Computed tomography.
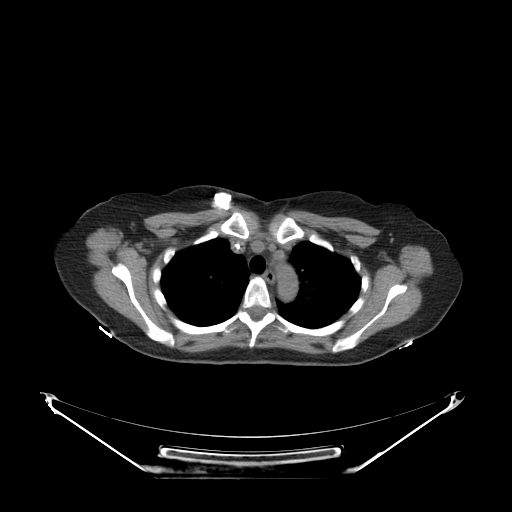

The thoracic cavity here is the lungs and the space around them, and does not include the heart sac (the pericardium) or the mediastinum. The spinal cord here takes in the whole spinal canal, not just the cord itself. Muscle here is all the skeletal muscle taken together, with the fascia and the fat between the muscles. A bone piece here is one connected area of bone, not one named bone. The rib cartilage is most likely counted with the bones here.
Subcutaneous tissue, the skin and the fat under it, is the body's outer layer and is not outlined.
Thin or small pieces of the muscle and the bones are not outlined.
The thoracic cavity appears in 2 outlined pieces: piece 1: 218,237 228,241 229,248 234,254 243,256 249,273 248,281 239,306 237,310 230,317 223,321 209,325 195,325 186,322 177,317 176,314 168,305 167,300 160,285 162,270 169,263 176,252 192,245 197,245; piece 2: 306,240 323,247 330,252 335,252 348,258 354,270 360,277 360,289 357,298 338,319 320,327 306,327 289,321 277,311 275,304 277,300 283,304 289,304 298,297 300,280 297,270 290,260 290,256 293,248. The mediastinum is outlined by 225,235 243,240 252,236 265,236 282,245 294,240 305,240 296,244 289,256 299,280 297,297 289,303 283,303 277,299 275,307 265,280 260,276 249,279 250,273 246,259 243,255 231,250 227,239 219,237. The muscle is outlined by 234,204 262,218 298,209 351,217 380,229 377,240 360,256 372,272 407,244 426,247 433,273 420,308 410,318 358,344 390,302 407,290 405,283 394,283 381,309 360,328 336,339 332,352 254,347 258,334 275,321 276,328 285,334 322,337 335,333 346,322 340,318 344,313 352,316 363,306 365,299 359,294 367,291 370,279 367,274 359,275 357,255 337,253 330,241 315,232 304,239 305,231 292,217 280,220 272,231 273,240 265,235 250,236 245,216 236,210 191,245 177,251 170,246 164,251 165,266 161,269 156,265 151,272 153,282 160,286 152,295 163,310 167,305 171,309 176,316 170,315 170,322 188,335 228,334 238,320 250,331 248,347 201,352 173,348 173,333 148,316 135,295 130,270 122,262 110,271 124,284 146,326 144,333 96,293 87,273 87,236 112,226 126,239 140,242 154,236 143,223 148,216. The spinal cord is outlined by 255,305 257,305 258,306 260,306 261,307 262,307 265,309 265,313 264,314 264,315 260,319 258,319 257,320 254,320 250,316 250,315 248,312 248,309 249,309 251,307 252,307. The bones appear in 10 outlined pieces: piece 1: 254,277 264,280 273,306 289,322 320,328 344,319 343,326 331,334 318,336 285,333 277,328 279,323 275,320 257,334 253,347 248,345 250,329 238,319 228,333 181,331 170,316 195,326 209,326 230,318 with a hole at 255,305 257,305 258,306 260,306 261,307 262,307 265,309 265,313 264,314 264,315 260,319 258,319 257,320 254,320 250,316 250,315 248,312 248,309 249,309 251,307 252,307; piece 2: 117,263 124,264 129,270 131,275 131,281 134,295 147,316 156,325 172,333 174,338 174,344 172,347 155,341 146,335 145,331 147,329 147,326 142,316 132,303 125,284 119,278 115,276 111,271 112,267; piece 3: 236,211 240,212 244,216 247,222 247,224 250,228 250,235 248,238 243,239 233,235 221,233 215,238 212,238 197,244 192,244 194,240 198,237 205,234 210,229 212,228 217,229 225,220; piece 4: 394,284 405,284 407,286 406,290 404,292 396,295 389,302 385,312 362,332 358,339 357,344 354,347 338,352 333,352 332,351 332,347 336,340 340,338 346,337 360,329 382,309 388,291 390,287; piece 5: 287,216 288,217 292,218 304,231 305,234 304,235 304,237 302,239 294,239 293,240 290,240 282,244 276,241 276,239 275,238 275,234 273,231 275,229 275,228 277,227 281,220 284,217 286,217; piece 6: 312,233 315,233 317,234 321,238 323,238 327,240 329,242 330,242 330,243 334,248 334,251 330,251 325,247 323,246 321,246 320,245 318,245 315,243 313,243 309,240 308,240 308,236; piece 7: 156,287 158,287 159,288 160,288 160,289 161,290 161,291 162,292 162,293 166,300 166,302 167,303 167,304 166,305 166,307 165,308 165,309 163,309 158,304 158,303 156,301 156,300 153,295 153,290; piece 8: 359,296 361,296 364,299 364,302 363,303 363,304 362,305 362,306 359,309 359,310 358,311 357,311 354,314 353,314 352,315 349,315 349,313 348,312 348,309 353,304 353,303 358,298 358,297; piece 9: 170,247 173,247 174,248 175,248 175,250 176,251 175,252 175,253 173,255 173,256 170,259 170,260 168,262 168,263 167,264 165,264 163,261 163,257 164,256 164,253 165,252 165,251 166,251; piece 10: 351,255 355,255 356,256 357,256 357,257 359,259 359,261 360,262 360,269 359,270 359,272 358,273 355,270 355,269 354,268 354,266 353,265 353,264 351,262 351,261 349,258. The torso is outlined by 193,184 227,187 266,201 318,190 341,190 376,204 404,204 444,234 462,267 460,291 443,319 430,332 357,365 196,364 144,355 110,335 69,295 55,267 54,239 85,210 113,195 123,192 162,194.